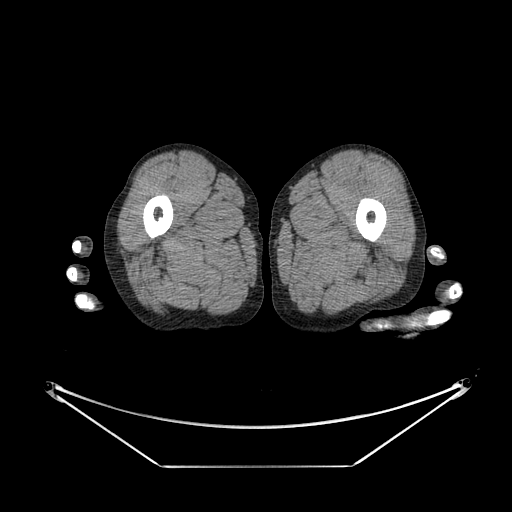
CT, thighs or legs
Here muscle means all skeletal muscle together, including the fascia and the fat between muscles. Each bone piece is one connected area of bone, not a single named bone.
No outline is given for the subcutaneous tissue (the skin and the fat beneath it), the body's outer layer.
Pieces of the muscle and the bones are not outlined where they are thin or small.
Outlined structures:
muscle 1: (182, 149) (200, 153) (217, 166) (221, 172) (235, 179) (243, 193) (255, 233) (256, 275) (254, 285) (241, 306) (235, 311) (225, 315) (161, 315) (144, 307) (134, 296) (127, 280) (122, 256) (117, 244) (116, 224) (118, 215) (138, 168) (150, 157) (165, 151) (178, 151), around a hole outlined by (162, 193) (166, 194) (169, 197) (171, 201) (171, 203) (173, 207) (173, 219) (172, 220) (171, 225) (163, 234) (159, 235) (154, 238) (151, 238) (149, 237) (144, 229) (143, 219) (142, 218) (142, 216) (143, 215) (143, 208) (146, 202) (150, 198) (157, 194) (161, 194)
muscle 2: (346, 149) (360, 149) (365, 152) (377, 153) (396, 166) (404, 180) (414, 218) (415, 245) (407, 264) (405, 281) (395, 294) (374, 303) (350, 307) (334, 315) (307, 315) (292, 303) (283, 289) (278, 273) (276, 236) (281, 225) (290, 187) (310, 170) (319, 166) (325, 159); inner edge: (363, 197) (371, 197) (372, 198) (375, 198) (379, 200) (383, 204) (386, 210) (386, 215) (387, 216) (387, 219) (386, 220) (386, 225) (381, 235) (377, 239) (377, 240) (374, 242) (372, 242) (365, 239) (360, 234) (355, 224) (355, 214) (356, 213) (357, 206) (360, 199)
muscle 3: (421, 313) (427, 313) (423, 317) (423, 320) (421, 321) (418, 321) (417, 322) (415, 322) (412, 324) (409, 324) (408, 325) (409, 327) (402, 327) (403, 325) (402, 324) (402, 322) (404, 320) (405, 320) (409, 317) (411, 317) (412, 316) (415, 316) (416, 314) (420, 314)
muscle 4: (450, 284) (451, 284) (444, 291) (444, 292) (445, 293) (446, 296) (449, 299) (450, 299) (451, 300) (454, 300) (455, 299) (456, 299) (455, 300) (455, 301) (454, 301) (453, 302) (448, 301) (441, 297) (441, 294) (442, 293) (442, 292) (445, 289) (445, 287)
left leg: (349, 142) (365, 143) (379, 147) (391, 154) (404, 169) (425, 221) (427, 238) (424, 277) (413, 299) (400, 308) (390, 311) (374, 310) (351, 326) (336, 333) (306, 333) (286, 324) (278, 316) (272, 305) (268, 253) (271, 211) (274, 200) (282, 186) (304, 163) (333, 146)
bones 1: (363, 197) (371, 197) (372, 198) (375, 198) (379, 200) (383, 204) (386, 210) (386, 215) (387, 216) (387, 219) (386, 220) (386, 225) (381, 235) (377, 239) (377, 240) (374, 242) (372, 242) (365, 239) (360, 234) (355, 224) (355, 214) (356, 213) (357, 206) (360, 199)
bones 2: (162, 193) (166, 194) (169, 197) (171, 201) (171, 203) (173, 207) (173, 219) (172, 220) (171, 225) (163, 234) (159, 235) (154, 238) (151, 238) (149, 237) (144, 229) (143, 219) (142, 218) (142, 216) (143, 215) (143, 208) (146, 202) (150, 198) (157, 194) (161, 194)
bones 3: (443, 308) (448, 308) (452, 311) (452, 316) (450, 319) (443, 324) (438, 324) (434, 326) (423, 326) (422, 327) (419, 327) (417, 326) (414, 328) (412, 328) (409, 326) (409, 325) (412, 325) (415, 323) (423, 321) (424, 320) (424, 317) (428, 313) (434, 310) (442, 309)
bones 4: (78, 293) (85, 293) (86, 294) (87, 294) (90, 297) (91, 297) (95, 303) (95, 305) (94, 306) (94, 307) (92, 309) (88, 309) (87, 308) (80, 308) (79, 307) (78, 307) (76, 305) (76, 303) (75, 302) (75, 300) (74, 299) (74, 298) (75, 297) (75, 295)
bones 5: (456, 281) (459, 282) (461, 284) (461, 285) (462, 286) (462, 290) (463, 291) (462, 292) (462, 294) (460, 297) (459, 297) (458, 298) (455, 298) (454, 299) (451, 299) (450, 298) (449, 298) (447, 296) (447, 295) (446, 294) (445, 291) (454, 282) (455, 282)
bones 6: (69, 266) (74, 266) (77, 269) (77, 276) (78, 277) (77, 278) (77, 280) (76, 281) (70, 281) (68, 279) (68, 278) (67, 277) (67, 276) (66, 275) (66, 270) (67, 269) (67, 268)
bones 7: (433, 247) (439, 247) (440, 248) (441, 248) (441, 249) (443, 251) (443, 252) (445, 254) (445, 257) (442, 259) (440, 259) (439, 258) (438, 258) (437, 257) (436, 257) (435, 256) (434, 256) (433, 255) (432, 255) (432, 254) (431, 253) (431, 252) (430, 251) (430, 250)
left arm 1: (449, 278) (459, 282) (463, 291) (459, 300) (449, 308) (452, 310) (452, 316) (440, 326) (426, 330) (416, 338) (407, 339) (402, 337) (399, 331) (389, 329) (366, 332) (361, 330) (356, 323) (366, 317) (403, 313) (422, 306) (436, 304) (435, 286) (440, 281)
left arm 2: (432, 244) (436, 244) (440, 246) (444, 250) (445, 252) (445, 254) (447, 257) (447, 261) (446, 263) (442, 265) (434, 265) (433, 264) (431, 264) (429, 262) (429, 261) (427, 260) (427, 249) (426, 247) (427, 246) (428, 247)
right arm 1: (80, 291) (85, 291) (86, 292) (90, 292) (91, 293) (93, 293) (95, 294) (97, 296) (101, 298) (105, 302) (106, 304) (105, 307) (103, 309) (101, 310) (98, 310) (97, 311) (83, 311) (76, 305) (76, 303) (74, 299) (75, 297) (75, 295) (78, 292)
right arm 2: (72, 263) (80, 263) (88, 267) (90, 271) (90, 277) (89, 278) (89, 281) (87, 284) (85, 284) (84, 285) (76, 285) (75, 284) (73, 284) (71, 283) (71, 282) (68, 279) (66, 275) (66, 270) (67, 268) (70, 265) (70, 264)
right arm 3: (77, 235) (87, 235) (89, 236) (92, 239) (93, 241) (93, 248) (89, 256) (87, 257) (78, 257) (76, 256) (73, 253) (73, 251) (72, 250) (72, 242) (74, 240) (74, 238) (75, 236)
right leg: (174, 142) (196, 144) (220, 157) (243, 177) (257, 199) (259, 229) (263, 239) (262, 278) (264, 295) (257, 313) (242, 325) (210, 331) (199, 329) (191, 331) (155, 331) (140, 322) (126, 307) (118, 295) (107, 270) (103, 253) (103, 232) (108, 210) (138, 159) (158, 146)